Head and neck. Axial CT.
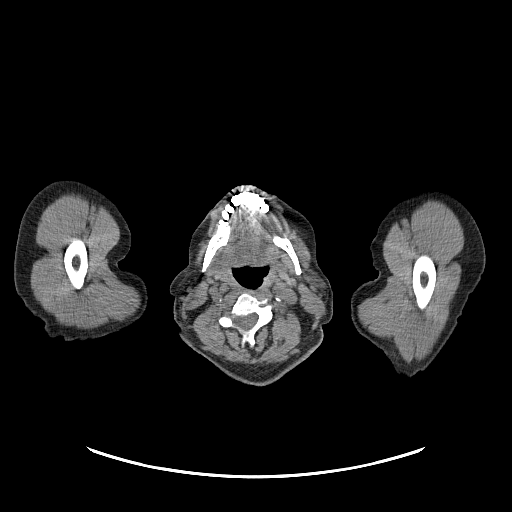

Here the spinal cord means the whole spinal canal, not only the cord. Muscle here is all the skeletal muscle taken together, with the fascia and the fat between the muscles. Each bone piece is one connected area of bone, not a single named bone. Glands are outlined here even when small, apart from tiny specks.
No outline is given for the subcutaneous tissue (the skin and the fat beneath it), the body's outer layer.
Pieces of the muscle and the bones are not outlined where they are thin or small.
The left arm is outlined by (426, 190) (443, 191) (456, 198) (469, 211) (482, 236) (485, 248) (485, 267) (481, 280) (469, 296) (458, 323) (445, 345) (425, 370) (407, 377) (396, 373) (384, 353) (356, 331) (350, 318) (350, 297) (359, 285) (378, 275) (372, 263) (370, 244) (381, 220) (397, 203). The bones appear in 5 outlined pieces: piece 1: (244, 290) (251, 290) (259, 300) (266, 298) (268, 302) (273, 306) (272, 308) (273, 315) (271, 320) (256, 331) (254, 334) (255, 342) (252, 347) (248, 343) (242, 346) (241, 345) (241, 335) (234, 328) (223, 327) (219, 323) (219, 318) (231, 308) (237, 297) with a hole at (252, 313) (255, 313) (257, 315) (257, 319) (256, 320) (256, 321) (255, 322) (255, 323) (250, 328) (249, 328) (248, 329) (244, 329) (243, 328) (242, 328) (240, 326) (239, 326) (237, 324) (236, 324) (234, 322) (234, 318) (236, 316) (246, 316) (247, 315) (249, 315); piece 2: (246, 190) (262, 197) (268, 205) (268, 210) (262, 214) (254, 205) (246, 201) (241, 201) (235, 206) (234, 215) (229, 224) (230, 230) (227, 242) (216, 250) (205, 271) (202, 272) (201, 269) (206, 246) (216, 230) (222, 216) (222, 211) (231, 202) (231, 198) (234, 195); piece 3: (422, 254) (425, 254) (429, 256) (432, 259) (434, 263) (434, 265) (435, 266) (435, 285) (433, 289) (432, 295) (426, 307) (424, 309) (421, 310) (418, 307) (416, 303) (415, 295) (413, 292) (413, 288) (412, 287) (412, 276) (413, 275) (414, 262) (417, 257); piece 4: (74, 237) (79, 238) (84, 242) (85, 244) (85, 247) (87, 251) (87, 271) (84, 278) (84, 283) (82, 287) (80, 289) (75, 289) (72, 286) (68, 278) (68, 276) (65, 269) (65, 266) (64, 265) (64, 253) (65, 252) (65, 249) (69, 244) (71, 239); piece 5: (273, 234) (277, 234) (279, 236) (286, 236) (290, 240) (292, 244) (292, 246) (297, 255) (297, 257) (299, 261) (299, 264) (302, 270) (300, 274) (298, 275) (296, 274) (293, 262) (291, 260) (288, 254) (282, 248) (274, 244) (272, 240) (272, 238) (270, 236) (271, 236). The right arm is outlined by (60, 179) (83, 181) (117, 206) (131, 234) (129, 251) (117, 264) (122, 270) (140, 276) (147, 288) (147, 306) (141, 317) (130, 327) (97, 339) (65, 341) (60, 336) (49, 337) (43, 329) (43, 321) (25, 307) (15, 291) (13, 261) (21, 218) (32, 198) (46, 185). The parotid glands are outlined by (308, 268) (311, 268) (312, 270) (314, 270) (316, 272) (317, 272) (319, 276) (325, 283) (326, 285) (326, 289) (319, 289) (316, 287) (314, 287) (314, 286) (312, 285) (312, 284) (310, 283) (309, 281) (308, 281) (307, 278) (305, 276) (305, 272) (308, 269). The spinal cord is outlined by (252, 313) (255, 313) (257, 315) (257, 319) (256, 320) (256, 321) (255, 322) (255, 323) (250, 328) (249, 328) (248, 329) (244, 329) (243, 328) (242, 328) (240, 326) (239, 326) (237, 324) (236, 324) (234, 322) (234, 318) (236, 316) (246, 316) (247, 315) (249, 315). The head and neck is outlined by (242, 185) (255, 186) (276, 195) (307, 218) (315, 234) (318, 265) (333, 292) (333, 314) (323, 326) (321, 343) (294, 368) (263, 386) (246, 385) (232, 379) (180, 339) (179, 328) (173, 318) (174, 298) (169, 291) (173, 278) (188, 263) (190, 239) (196, 227) (226, 193); inner edge: (245, 266) (247, 266) (250, 268) (261, 268) (262, 267) (267, 266) (268, 268) (267, 273) (262, 278) (262, 281) (261, 283) (257, 287) (255, 287) (254, 288) (250, 288) (249, 287) (246, 287) (242, 285) (234, 277) (232, 273) (232, 269) (234, 268) (241, 268). The muscle appears in 3 outlined pieces: piece 1: (250, 190) (274, 200) (282, 207) (285, 217) (305, 233) (311, 267) (307, 268) (304, 276) (314, 288) (325, 290) (328, 294) (326, 312) (311, 340) (298, 353) (281, 363) (256, 367) (221, 360) (203, 349) (187, 330) (179, 310) (180, 284) (194, 267) (198, 242) (208, 229) (214, 211) (225, 200) (230, 202) (221, 211) (215, 230) (205, 246) (200, 269) (204, 273) (217, 250) (228, 242) (235, 207) (241, 202) (246, 202) (262, 215) (269, 210) (265, 199) with holes at (244, 290) (251, 290) (259, 300) (266, 298) (268, 302) (273, 306) (272, 308) (273, 315) (271, 320) (256, 331) (254, 334) (255, 342) (252, 347) (248, 343) (242, 346) (241, 345) (241, 335) (234, 328) (223, 327) (219, 323) (219, 318) (231, 308) (237, 297) and at (245, 266) (247, 266) (250, 268) (261, 268) (262, 267) (267, 266) (268, 268) (267, 273) (263, 277) (263, 279) (261, 283) (257, 287) (255, 287) (254, 288) (250, 288) (249, 287) (246, 287) (242, 285) (234, 277) (232, 273) (232, 269) (234, 268) (241, 268) and at (273, 234) (277, 234) (279, 236) (286, 236) (290, 240) (292, 244) (292, 246) (297, 255) (297, 257) (299, 261) (299, 264) (302, 270) (300, 274) (298, 275) (296, 274) (293, 262) (291, 260) (288, 254) (282, 248) (274, 244) (272, 240) (272, 238) (270, 236) (271, 236); piece 2: (428, 198) (445, 202) (457, 215) (463, 227) (465, 241) (462, 276) (451, 303) (446, 326) (431, 352) (420, 361) (407, 363) (392, 343) (370, 333) (362, 325) (357, 315) (357, 305) (361, 300) (378, 292) (385, 283) (388, 269) (382, 255) (382, 242) (390, 225) (400, 215); inner edge: (422, 254) (425, 254) (429, 256) (432, 259) (434, 263) (434, 265) (435, 266) (435, 285) (433, 289) (432, 295) (426, 307) (424, 309) (421, 310) (418, 307) (416, 303) (415, 295) (413, 292) (413, 288) (412, 287) (412, 276) (413, 275) (414, 262) (417, 257); piece 3: (67, 191) (83, 192) (95, 198) (109, 210) (120, 228) (120, 239) (107, 255) (108, 265) (120, 280) (136, 287) (141, 295) (141, 303) (137, 310) (120, 322) (90, 329) (59, 325) (35, 300) (32, 294) (30, 273) (35, 259) (35, 229) (37, 221) (46, 205) (61, 193); inner edge: (74, 237) (79, 238) (84, 242) (85, 244) (85, 247) (87, 251) (87, 271) (84, 278) (84, 283) (82, 287) (80, 289) (75, 289) (72, 286) (68, 278) (68, 276) (65, 269) (65, 266) (64, 265) (64, 253) (65, 252) (65, 249) (69, 244) (71, 239).